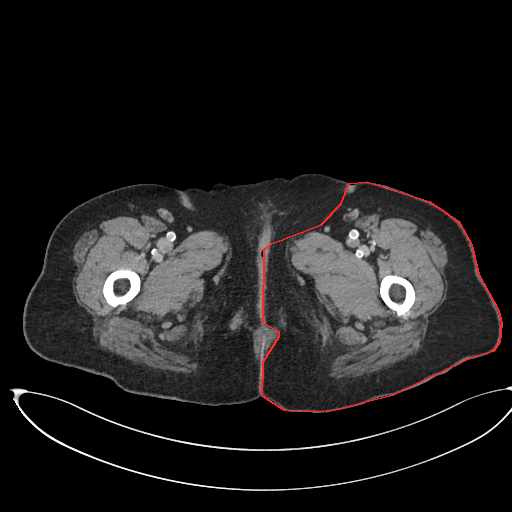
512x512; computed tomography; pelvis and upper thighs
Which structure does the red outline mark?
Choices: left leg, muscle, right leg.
red: left leg.
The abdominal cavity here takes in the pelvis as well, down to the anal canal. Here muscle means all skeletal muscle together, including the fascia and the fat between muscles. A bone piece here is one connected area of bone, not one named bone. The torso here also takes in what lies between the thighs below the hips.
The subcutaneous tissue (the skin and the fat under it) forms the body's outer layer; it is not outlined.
The left leg is outlined by (366, 181) (429, 201) (458, 221) (471, 244) (478, 274) (498, 310) (501, 323) (499, 342) (493, 351) (468, 359) (393, 395) (326, 412) (284, 410) (262, 396) (263, 361) (279, 336) (279, 332) (264, 324) (263, 320) (264, 249) (271, 243) (321, 224) (341, 203) (349, 183). The bones appear in 2 outlined pieces: piece 1: (120, 268) (130, 269) (136, 272) (138, 274) (140, 278) (140, 288) (139, 289) (138, 293) (125, 305) (122, 305) (120, 304) (115, 307) (112, 307) (106, 301) (102, 292) (102, 288) (103, 287) (103, 284) (105, 281) (105, 279) (107, 277) (107, 276) (111, 272); piece 2: (390, 274) (394, 274) (395, 275) (398, 275) (404, 278) (406, 278) (412, 284) (415, 292) (415, 300) (413, 304) (410, 308) (409, 308) (400, 316) (398, 316) (397, 315) (397, 313) (394, 310) (392, 310) (389, 308) (384, 303) (379, 293) (380, 281) (384, 276) (389, 275). The torso appears in 2 outlined pieces: piece 1: (306, 173) (326, 174) (348, 182) (340, 203) (330, 216) (321, 223) (295, 235) (271, 242) (264, 247) (253, 236) (240, 228) (222, 222) (219, 219) (197, 209) (189, 200) (185, 190) (189, 187) (197, 187) (207, 190) (215, 183) (231, 185) (244, 184) (278, 176) (292, 178); piece 2: (260, 325) (267, 325) (272, 330) (274, 330) (278, 332) (278, 336) (276, 339) (276, 341) (273, 344) (271, 349) (268, 352) (268, 355) (262, 361) (260, 356) (258, 354) (256, 354) (256, 352) (253, 349) (253, 334) (254, 333) (254, 331) (257, 328) (257, 327) (258, 327). The muscle appears in 3 outlined pieces: piece 1: (370, 212) (399, 213) (411, 217) (428, 225) (441, 237) (446, 244) (448, 257) (447, 294) (430, 319) (427, 335) (416, 354) (383, 370) (358, 377) (337, 379) (329, 376) (326, 371) (325, 349) (315, 313) (292, 275) (287, 263) (286, 247) (290, 239) (301, 231) (335, 232) with a hole at (390, 274) (394, 274) (395, 275) (398, 275) (404, 278) (406, 278) (412, 284) (415, 292) (415, 300) (413, 304) (410, 308) (409, 308) (400, 316) (398, 316) (397, 315) (397, 313) (394, 310) (392, 310) (389, 308) (384, 303) (379, 293) (380, 281) (384, 276) (389, 275); piece 2: (127, 214) (152, 216) (187, 233) (218, 229) (224, 232) (228, 237) (231, 247) (229, 265) (208, 308) (202, 333) (199, 369) (195, 373) (178, 374) (144, 367) (99, 349) (94, 343) (90, 316) (75, 299) (72, 289) (75, 270) (72, 248) (76, 240) (94, 223) (117, 215); inner edge: (120, 268) (130, 269) (136, 272) (138, 274) (140, 278) (140, 288) (139, 289) (138, 293) (125, 305) (122, 305) (120, 304) (115, 307) (112, 307) (106, 301) (102, 292) (102, 288) (103, 287) (103, 284) (105, 281) (105, 279) (107, 277) (107, 276) (111, 272); piece 3: (261, 326) (267, 326) (268, 327) (270, 327) (271, 328) (273, 328) (275, 329) (277, 331) (277, 335) (276, 336) (276, 340) (275, 341) (275, 343) (274, 345) (265, 354) (261, 356) (258, 356) (255, 354) (252, 348) (252, 331); inner edge: (262, 334) (265, 334) (265, 343) (263, 345) (261, 345) (261, 344) (260, 343) (260, 337) (262, 335). The right leg is outlined by (138, 183) (184, 189) (197, 210) (240, 229) (264, 248) (263, 324) (252, 334) (252, 349) (262, 362) (261, 396) (256, 399) (237, 404) (206, 405) (136, 394) (120, 388) (105, 376) (46, 360) (28, 346) (22, 330) (24, 304) (42, 269) (46, 246) (55, 226) (80, 203). The abdominal cavity is outlined by (262, 334) (265, 334) (265, 343) (263, 345) (261, 345) (261, 344) (260, 343) (260, 337) (262, 335).